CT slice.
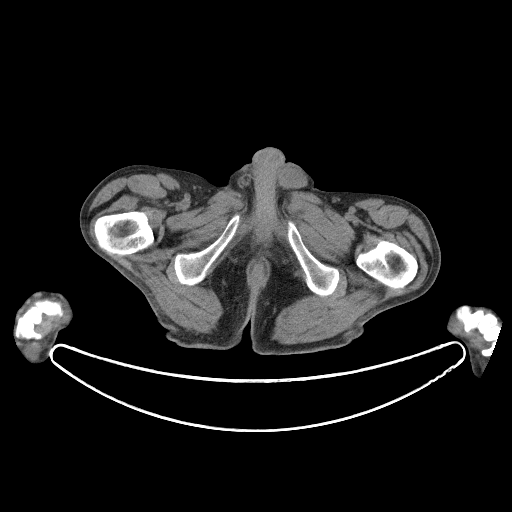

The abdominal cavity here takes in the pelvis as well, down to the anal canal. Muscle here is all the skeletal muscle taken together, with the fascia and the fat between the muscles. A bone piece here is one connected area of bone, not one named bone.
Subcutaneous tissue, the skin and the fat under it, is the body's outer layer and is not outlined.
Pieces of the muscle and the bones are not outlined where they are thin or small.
{"right_arm":[[[38,290],[47,290],[59,292],[63,294],[71,304],[73,309],[73,319],[67,327],[58,332],[55,343],[53,345],[53,347],[49,350],[49,355],[47,356],[47,358],[41,363],[31,363],[23,357],[18,349],[13,332],[13,325],[17,309],[28,296]]],"muscle":[{"outer":[[293,191],[311,192],[329,202],[339,212],[342,213],[352,202],[368,198],[380,198],[384,200],[394,201],[413,210],[418,214],[423,222],[431,243],[434,265],[427,280],[422,286],[414,291],[389,298],[379,303],[360,317],[350,329],[332,337],[294,344],[282,344],[272,340],[270,335],[277,315],[283,308],[307,294],[304,289],[304,284],[295,276],[294,265],[289,259],[289,254],[274,228],[276,211],[280,209],[285,194]],"holes":[[[380,240],[386,240],[390,242],[396,243],[401,247],[407,250],[416,258],[418,264],[417,272],[414,278],[405,286],[399,287],[398,288],[393,288],[387,286],[381,283],[373,277],[370,276],[357,266],[355,262],[357,256],[360,253],[365,252],[373,248]],[[289,220],[292,221],[294,223],[301,236],[302,241],[308,250],[318,260],[324,264],[330,266],[333,266],[337,268],[339,272],[339,280],[334,291],[331,294],[325,296],[321,296],[312,292],[308,288],[305,281],[305,274],[287,238],[287,222]]]},{"outer":[[134,170],[175,175],[200,199],[231,189],[247,200],[251,225],[210,276],[223,308],[213,335],[194,334],[176,324],[162,312],[149,288],[110,256],[130,255],[154,244],[144,211],[98,216],[93,233],[100,249],[89,239],[86,215],[91,202],[109,179]],"hole":[[235,214],[239,214],[240,216],[240,221],[236,231],[232,238],[212,263],[208,269],[205,277],[200,282],[193,285],[187,285],[180,283],[175,274],[174,269],[175,255],[180,252],[181,253],[189,253],[199,251],[208,246],[220,235],[229,220]]},[[44,295],[53,295],[62,299],[67,304],[69,308],[70,319],[67,323],[57,328],[52,334],[49,341],[49,343],[51,345],[50,347],[47,347],[37,357],[30,358],[23,351],[18,342],[18,339],[40,340],[42,338],[42,335],[36,331],[35,326],[42,322],[43,316],[45,315],[46,316],[61,317],[64,314],[62,303],[59,300],[52,300],[49,298],[41,298],[36,299],[18,316],[20,311],[33,297],[43,296]],[[454,315],[462,323],[463,330],[466,333],[473,329],[476,329],[482,335],[483,339],[490,343],[488,347],[483,348],[480,351],[482,356],[489,357],[483,371],[480,367],[477,356],[478,351],[470,345],[469,341],[466,338],[456,334],[453,331],[451,322]],{"outer":[[263,249],[266,249],[271,251],[271,255],[267,257],[271,264],[271,270],[270,271],[270,274],[268,280],[265,286],[259,294],[258,293],[251,292],[250,290],[250,287],[247,283],[247,278],[246,277],[246,265],[248,259],[250,258],[253,254],[259,252]],"hole":[[257,257],[258,257],[261,260],[264,261],[264,262],[265,263],[265,265],[266,266],[266,272],[265,273],[265,275],[263,278],[263,280],[258,286],[258,287],[254,287],[254,286],[250,279],[250,272],[251,271],[251,267],[252,266],[255,259]]}],"abdominal_cavity":[[[257,257],[258,257],[261,260],[264,261],[264,262],[265,263],[265,265],[266,266],[266,272],[265,273],[265,275],[263,278],[263,280],[258,286],[258,287],[254,287],[254,286],[250,279],[250,272],[251,271],[251,267],[252,266],[255,259]]],"bones":[[[135,210],[141,211],[145,213],[148,220],[148,223],[154,234],[154,242],[153,244],[143,250],[140,250],[130,254],[126,255],[112,254],[109,255],[98,246],[97,240],[94,233],[94,223],[96,219],[98,217],[106,214],[121,213],[122,212],[128,212]],[[380,240],[386,240],[390,242],[396,243],[401,247],[407,250],[416,258],[418,264],[417,272],[414,278],[405,286],[399,287],[398,288],[393,288],[387,286],[381,283],[373,277],[370,276],[357,266],[355,262],[357,256],[360,253],[365,252],[373,248]],[[235,214],[239,214],[240,216],[240,221],[236,231],[232,238],[212,263],[208,269],[205,277],[200,282],[193,285],[187,285],[180,283],[175,274],[174,269],[175,255],[180,252],[181,253],[189,253],[199,251],[208,246],[220,235],[229,220]],[[289,220],[292,221],[294,223],[301,236],[302,241],[308,250],[318,260],[324,264],[330,266],[333,266],[337,268],[339,272],[339,280],[334,291],[331,294],[325,296],[321,296],[312,292],[308,288],[305,281],[305,274],[287,238],[287,222]],[[464,305],[468,306],[472,311],[482,309],[486,312],[491,312],[501,324],[495,345],[489,356],[482,355],[481,351],[483,349],[488,348],[491,343],[485,340],[483,335],[476,328],[473,328],[466,332],[464,330],[463,323],[456,317],[455,314],[457,308]],[[41,299],[49,299],[52,301],[59,301],[61,303],[63,314],[61,316],[46,315],[45,314],[42,316],[41,322],[34,326],[35,331],[41,335],[40,339],[33,339],[32,338],[31,339],[25,339],[16,337],[14,335],[14,330],[18,317],[36,300]]],"torso":[[[266,146],[279,148],[321,190],[388,194],[416,205],[440,247],[437,277],[424,294],[377,314],[360,336],[337,348],[258,354],[249,324],[240,343],[229,349],[179,346],[165,337],[140,290],[87,245],[80,208],[91,190],[121,167],[181,169],[220,186]]],"left_arm":[[[463,304],[483,305],[490,307],[500,316],[502,320],[501,321],[501,327],[493,350],[489,356],[489,359],[481,375],[479,377],[476,377],[472,372],[468,355],[468,350],[466,349],[466,347],[461,342],[458,341],[446,329],[446,322],[450,312],[458,306]]]}